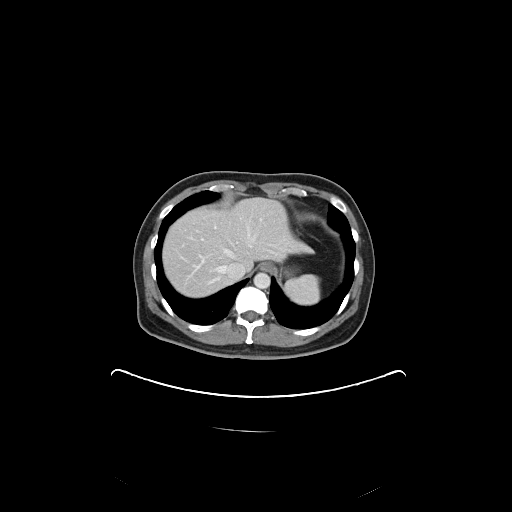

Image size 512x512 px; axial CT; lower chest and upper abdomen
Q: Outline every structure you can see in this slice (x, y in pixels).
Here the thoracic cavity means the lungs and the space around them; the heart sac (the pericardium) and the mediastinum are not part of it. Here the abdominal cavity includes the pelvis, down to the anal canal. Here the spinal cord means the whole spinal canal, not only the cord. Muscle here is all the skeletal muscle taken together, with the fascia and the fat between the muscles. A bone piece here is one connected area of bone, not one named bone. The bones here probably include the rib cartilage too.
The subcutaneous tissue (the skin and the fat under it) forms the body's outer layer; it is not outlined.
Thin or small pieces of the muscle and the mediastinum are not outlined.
A: The muscle appears in 2 outlined pieces: piece 1: (220, 179) (255, 182) (259, 184) (267, 182) (295, 182) (334, 194) (329, 197) (328, 201) (317, 196) (308, 195) (305, 189) (295, 186) (283, 187) (280, 192) (288, 194) (283, 196) (238, 193) (228, 190) (234, 188) (233, 184) (218, 183) (190, 194) (175, 205) (174, 203) (169, 203) (158, 213) (158, 218) (161, 222) (158, 231) (150, 240) (150, 248) (153, 251) (154, 260) (150, 265) (150, 273) (161, 293) (160, 302) (163, 308) (172, 317) (176, 315) (187, 322) (186, 326) (196, 333) (211, 330) (215, 324) (223, 320) (231, 310) (235, 314) (234, 322) (237, 325) (243, 326) (246, 330) (245, 343) (240, 344) (215, 345) (193, 339) (154, 314) (147, 306) (145, 299) (143, 252) (157, 211) (167, 201) (184, 189); piece 2: (346, 204) (356, 219) (363, 242) (364, 276) (357, 310) (337, 327) (305, 344) (291, 347) (254, 344) (252, 333) (256, 327) (265, 324) (264, 318) (269, 311) (294, 335) (306, 337) (317, 332) (322, 324) (346, 307) (360, 268) (356, 256) (359, 234) (345, 215) (348, 211). The abdominal cavity is outlined by (226, 191) (282, 197) (299, 217) (317, 218) (337, 231) (346, 256) (341, 285) (315, 305) (296, 305) (286, 298) (276, 282) (275, 266) (264, 262) (243, 279) (206, 297) (190, 298) (178, 293) (162, 266) (162, 243) (168, 226) (190, 208) (209, 202) (219, 196) (218, 192). The torso is outlined by (212, 170) (311, 173) (338, 183) (350, 193) (362, 213) (371, 235) (375, 255) (375, 276) (365, 320) (357, 333) (348, 342) (311, 355) (286, 359) (252, 360) (200, 353) (160, 340) (140, 327) (136, 316) (132, 257) (135, 239) (141, 223) (160, 195) (175, 182) (191, 174). The bones appear in 13 outlined pieces: piece 1: (245, 286) (253, 286) (261, 290) (268, 298) (269, 308) (269, 310) (263, 318) (264, 324) (256, 326) (253, 329) (251, 333) (252, 343) (250, 344) (245, 342) (247, 336) (246, 328) (243, 325) (237, 324) (235, 322) (236, 314) (231, 309) (235, 302) (238, 292) (241, 288); inner edge: (250, 310) (251, 310) (252, 311) (255, 312) (258, 315) (258, 317) (257, 318) (254, 319) (252, 321) (249, 321) (247, 319) (244, 318) (244, 317) (243, 316) (243, 314) (245, 312) (246, 312) (247, 311) (249, 311); piece 2: (333, 195) (334, 195) (335, 196) (336, 196) (337, 197) (340, 198) (344, 202) (344, 203) (346, 206) (346, 208) (347, 209) (347, 211) (345, 214) (344, 214) (340, 210) (339, 210) (336, 207) (335, 207) (331, 203) (330, 203) (329, 202) (329, 199) (330, 198) (330, 197); piece 3: (316, 326) (320, 326) (320, 328) (317, 331) (316, 331) (314, 333) (313, 333) (312, 334) (310, 334) (309, 335) (307, 335) (306, 336) (303, 336) (302, 335) (297, 335) (296, 334) (294, 334) (290, 329) (306, 329) (307, 328) (311, 328) (312, 327) (315, 327); piece 4: (289, 187) (295, 187) (296, 188) (299, 188) (300, 189) (303, 189) (304, 190) (305, 190) (307, 192) (307, 195) (306, 196) (297, 196) (296, 195) (294, 195) (293, 194) (289, 194) (288, 193) (284, 193) (283, 192) (281, 192) (281, 190) (283, 188) (288, 188); piece 5: (187, 323) (191, 323) (192, 324) (197, 324) (198, 325) (210, 325) (211, 324) (214, 324) (214, 326) (211, 329) (210, 329) (209, 330) (208, 330) (207, 331) (203, 331) (202, 332) (196, 332) (195, 331) (193, 331) (192, 330) (191, 330) (187, 326); piece 6: (218, 184) (230, 184) (231, 185) (233, 185) (233, 188) (232, 188) (231, 189) (228, 189) (225, 191) (213, 191) (212, 190) (206, 190) (205, 189) (204, 190) (204, 189) (205, 189) (206, 188) (207, 188) (208, 187) (209, 187) (212, 185) (217, 185); piece 7: (169, 204) (174, 204) (174, 206) (171, 209) (171, 210) (162, 219) (160, 219) (159, 218) (159, 213) (161, 211) (161, 210) (164, 207) (165, 207) (167, 205) (168, 205); piece 8: (349, 291) (349, 298) (347, 301) (347, 303) (346, 304) (345, 307) (339, 314) (338, 314) (337, 315) (335, 315) (335, 314) (336, 313) (336, 312) (338, 310) (338, 309) (339, 308) (339, 307) (340, 306) (340, 305) (341, 304) (341, 303) (342, 302) (344, 297); piece 9: (162, 296) (165, 299) (165, 300) (167, 302) (167, 303) (170, 306) (170, 307) (171, 308) (171, 309) (173, 311) (173, 312) (175, 314) (175, 315) (174, 316) (172, 316) (170, 314) (169, 314) (169, 313) (164, 308) (164, 307) (163, 306) (163, 305) (161, 302) (161, 297); piece 10: (355, 257) (356, 257) (357, 258) (357, 259) (358, 260) (358, 261) (359, 262) (359, 268) (358, 269) (358, 272) (357, 273) (357, 274) (356, 275) (355, 275) (354, 274) (354, 267) (353, 266) (353, 264) (354, 263) (354, 259) (355, 258); piece 11: (351, 227) (353, 227) (356, 230) (356, 231) (357, 232) (357, 233) (358, 234) (358, 240) (357, 241) (357, 242) (356, 243) (355, 243) (355, 242) (354, 241) (354, 240) (353, 239) (353, 237) (352, 236) (352, 233) (351, 232); piece 12: (154, 262) (154, 263) (155, 264) (155, 273) (156, 274) (156, 280) (154, 280) (153, 279) (153, 278) (152, 277) (152, 274) (151, 273) (151, 265) (152, 264) (152, 263) (153, 263); piece 13: (156, 233) (157, 233) (157, 240) (156, 241) (156, 243) (155, 244) (155, 246) (154, 247) (154, 248) (153, 249) (153, 250) (151, 248) (151, 240) (152, 239) (152, 237). The spinal cord is outlined by (250, 310) (251, 310) (252, 311) (255, 312) (258, 315) (258, 317) (257, 318) (254, 319) (252, 321) (249, 321) (247, 319) (244, 318) (244, 317) (243, 316) (243, 314) (245, 312) (246, 312) (247, 311) (249, 311). The thoracic cavity appears in 2 outlined pieces: piece 1: (205, 190) (217, 192) (217, 197) (190, 207) (167, 226) (160, 250) (163, 274) (178, 294) (190, 299) (206, 298) (244, 279) (247, 281) (237, 292) (228, 314) (223, 319) (215, 323) (198, 324) (188, 322) (177, 315) (162, 295) (157, 283) (154, 249) (162, 220) (178, 203); piece 2: (329, 203) (347, 219) (355, 244) (352, 283) (337, 310) (328, 320) (320, 325) (306, 328) (286, 327) (275, 319) (269, 307) (272, 277) (285, 298) (291, 304) (300, 307) (311, 307) (319, 304) (331, 296) (344, 281) (347, 258) (346, 248) (342, 235) (328, 221). The mediastinum appears in 2 outlined pieces: piece 1: (288, 195) (293, 195) (297, 197) (311, 196) (312, 197) (317, 197) (327, 201) (328, 204) (327, 205) (327, 214) (326, 215) (327, 216) (327, 221) (331, 226) (326, 224) (322, 220) (314, 216) (311, 216) (310, 215) (307, 216) (299, 216) (296, 210) (292, 205) (283, 197); piece 2: (264, 263) (270, 263) (272, 264) (274, 266) (276, 272) (276, 277) (275, 279) (274, 277) (272, 276) (271, 277) (270, 285) (269, 286) (269, 293) (268, 294) (268, 297) (261, 289) (253, 285) (246, 285) (248, 279) (245, 278) (259, 266) (262, 265).